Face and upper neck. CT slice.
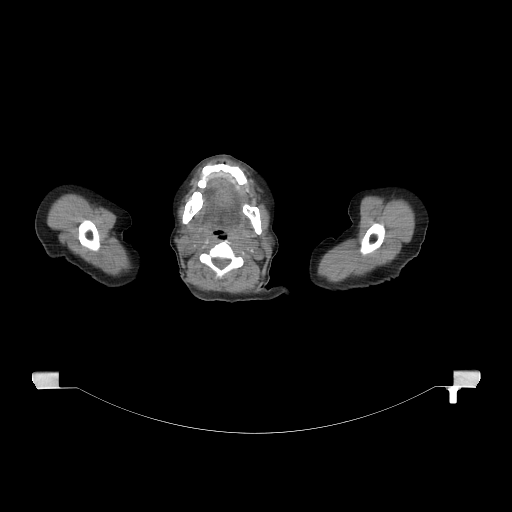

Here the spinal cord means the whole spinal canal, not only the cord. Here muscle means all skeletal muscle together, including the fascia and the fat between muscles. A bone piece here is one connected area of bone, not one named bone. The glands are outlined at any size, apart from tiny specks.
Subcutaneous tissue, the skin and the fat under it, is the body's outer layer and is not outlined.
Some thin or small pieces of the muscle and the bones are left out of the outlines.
Outlined structures:
bones 1: [[217,163],[238,166],[246,177],[246,184],[239,185],[228,173],[224,173],[222,176],[212,175],[208,179],[205,187],[200,190],[203,200],[201,208],[186,224],[182,223],[182,215],[186,202],[195,191],[200,189],[197,182],[201,176],[202,168],[206,164]]
bones 2: [[225,238],[228,240],[230,246],[235,252],[238,254],[243,252],[241,255],[243,258],[243,264],[238,268],[234,268],[228,271],[221,278],[217,278],[215,272],[206,264],[204,264],[200,261],[199,256],[201,253],[207,251],[211,247],[219,242],[220,240]], around a hole outlined by [[213,258],[225,258],[226,259],[229,259],[229,262],[227,264],[227,265],[226,265],[224,267],[223,267],[222,268],[220,268],[219,267],[218,267],[216,265],[215,265],[214,264],[214,263],[213,262],[213,261],[212,260],[212,259]]
bones 3: [[374,222],[376,222],[377,223],[381,223],[384,226],[384,228],[385,229],[385,234],[384,235],[384,238],[383,239],[382,243],[379,247],[378,247],[373,251],[367,254],[363,255],[360,252],[360,242],[361,241],[361,239],[365,234],[368,228]]
bones 4: [[85,219],[88,219],[92,221],[97,229],[97,231],[99,235],[99,240],[100,241],[100,247],[97,251],[94,251],[93,250],[91,250],[87,248],[85,246],[82,245],[79,241],[79,239],[78,238],[78,227],[80,223],[83,220]]
bones 5: [[245,203],[247,204],[249,204],[251,206],[256,206],[259,209],[259,213],[260,214],[260,219],[261,220],[261,228],[262,229],[262,232],[260,234],[257,234],[255,232],[251,224],[251,222],[250,220],[244,214],[244,213],[242,211],[242,206],[243,204]]
muscle 1: [[216,158],[227,158],[245,167],[251,173],[252,177],[264,192],[266,206],[269,211],[268,232],[266,234],[266,240],[269,242],[269,245],[272,246],[272,251],[266,266],[265,275],[262,283],[263,290],[260,292],[230,293],[212,290],[202,290],[188,283],[185,280],[185,270],[182,266],[180,255],[175,242],[175,237],[178,235],[179,228],[177,213],[178,207],[181,199],[188,190],[188,185],[197,169],[208,161]]; inner edges: [[217,163],[238,166],[246,177],[246,184],[239,185],[228,173],[224,173],[222,176],[212,175],[208,179],[205,187],[200,190],[203,200],[201,208],[186,224],[182,223],[182,215],[186,202],[195,191],[200,189],[197,182],[201,176],[202,168],[206,164]], then [[225,238],[228,240],[230,246],[235,252],[238,254],[243,252],[241,255],[243,258],[243,264],[238,268],[234,268],[228,271],[221,278],[217,278],[215,272],[206,264],[204,264],[200,261],[199,256],[201,253],[207,251],[211,247],[219,242],[220,240]], then [[245,203],[247,204],[249,204],[251,206],[256,206],[259,209],[259,213],[260,214],[260,219],[261,220],[261,228],[262,229],[262,232],[260,234],[257,234],[255,232],[251,224],[251,222],[250,220],[244,214],[244,213],[242,211],[242,206],[243,204]]
muscle 2: [[366,195],[381,196],[387,201],[392,198],[403,198],[408,201],[414,210],[416,220],[412,239],[403,245],[397,258],[388,264],[379,266],[362,276],[348,277],[339,282],[330,282],[317,274],[318,262],[327,250],[356,236],[359,223],[359,205],[361,199]] with a hole at [[374,222],[376,222],[377,223],[381,223],[384,226],[384,228],[385,229],[385,234],[384,235],[384,238],[383,239],[382,243],[379,247],[378,247],[373,251],[367,254],[363,255],[360,252],[360,242],[361,241],[361,239],[365,234],[368,228]]
muscle 3: [[64,193],[79,194],[91,203],[102,206],[116,215],[117,219],[114,227],[115,235],[126,249],[130,257],[132,264],[130,270],[116,276],[109,275],[60,244],[57,239],[57,232],[52,230],[47,225],[46,217],[49,207],[53,201]]; inner edge: [[85,219],[88,219],[92,221],[97,229],[97,231],[99,235],[99,240],[100,241],[100,247],[97,251],[94,251],[93,250],[91,250],[87,248],[85,246],[82,245],[79,241],[79,239],[78,238],[78,227],[80,223],[83,220]]
spinal cord: [[213,258],[225,258],[226,259],[229,259],[229,262],[227,264],[227,265],[226,265],[224,267],[223,267],[222,268],[220,268],[219,267],[218,267],[216,265],[215,265],[214,264],[214,263],[213,262],[213,261],[212,260],[212,259]]
right arm: [[64,182],[75,182],[85,185],[113,201],[130,214],[132,223],[123,232],[123,238],[130,242],[139,251],[142,259],[140,273],[134,281],[121,287],[106,287],[91,279],[64,258],[50,258],[46,254],[35,233],[35,214],[37,207],[46,192],[55,185]]
parotid glands: [[268,233],[270,233],[270,234],[272,236],[272,237],[273,238],[273,244],[272,245],[270,245],[270,242],[269,241],[268,241],[267,240],[267,234]]
head and neck: [[221,153],[230,154],[259,170],[269,182],[275,198],[273,230],[279,247],[271,262],[270,277],[266,285],[268,288],[285,285],[291,291],[289,296],[233,303],[205,301],[193,297],[180,280],[176,256],[169,244],[174,226],[173,195],[186,174],[199,161]]
left arm: [[386,184],[398,184],[410,188],[422,198],[427,207],[429,222],[425,239],[418,255],[401,270],[397,278],[378,285],[345,291],[326,291],[312,284],[308,277],[308,263],[314,246],[328,236],[336,237],[351,224],[347,208],[350,199],[356,192],[364,188]]